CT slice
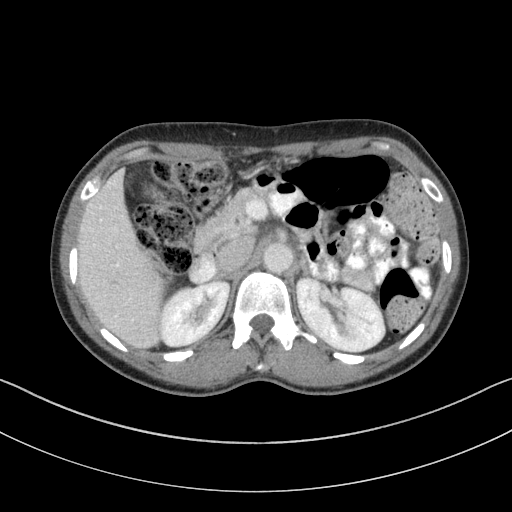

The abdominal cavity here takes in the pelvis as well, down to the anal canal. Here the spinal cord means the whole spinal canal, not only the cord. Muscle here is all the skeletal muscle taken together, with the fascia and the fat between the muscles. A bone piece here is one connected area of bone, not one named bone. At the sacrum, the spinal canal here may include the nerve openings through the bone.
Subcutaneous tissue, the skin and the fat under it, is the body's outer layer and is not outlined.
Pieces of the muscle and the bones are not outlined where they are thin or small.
{"spinal_cord":[[[260,334],[264,334],[265,333],[267,333],[268,332],[268,331],[269,330],[269,329],[273,325],[273,320],[269,316],[268,316],[265,314],[260,314],[259,315],[257,315],[256,316],[255,316],[250,321],[250,324],[253,327],[253,333],[259,333]]],"bones":[{"outer":[[286,350],[291,348],[292,342],[297,336],[303,336],[312,343],[315,343],[317,338],[304,331],[294,321],[290,296],[284,281],[268,272],[252,271],[243,278],[237,289],[232,314],[234,324],[232,346],[236,349],[252,337],[261,346],[272,337],[277,339]],"hole":[[260,334],[264,334],[265,333],[267,333],[268,332],[268,331],[269,330],[269,329],[273,325],[273,320],[269,316],[268,316],[265,314],[260,314],[259,315],[257,315],[256,316],[255,316],[250,321],[250,324],[253,327],[253,333],[259,333]]},[[436,202],[442,202],[443,201],[443,197],[442,196],[442,195],[441,194],[439,189],[432,180],[431,180],[429,178],[428,178],[427,177],[421,177],[420,178],[420,182],[422,185],[422,187],[423,188],[423,189],[432,198],[432,199],[433,199]],[[81,201],[85,201],[89,199],[95,193],[100,183],[100,175],[99,174],[96,175],[92,179],[90,180],[88,180],[86,182],[86,183],[84,185],[80,193],[80,196],[79,198]],[[167,361],[181,361],[182,360],[184,360],[186,358],[189,357],[193,354],[193,350],[190,348],[186,348],[185,349],[183,349],[182,350],[176,350],[175,351],[169,351],[168,352],[163,352],[161,354],[162,355],[162,357],[165,360],[166,360]],[[72,284],[76,284],[76,278],[77,277],[77,248],[75,246],[74,246],[73,247],[72,247],[71,248],[71,249],[70,250],[70,252],[69,253],[69,277],[70,278],[70,280],[71,281],[71,283]],[[347,364],[355,364],[356,363],[359,363],[363,361],[366,356],[365,355],[357,355],[356,354],[348,354],[347,353],[342,353],[341,352],[337,352],[335,351],[333,352],[332,355],[335,358],[337,358],[339,359],[342,362],[344,363],[346,363]],[[399,349],[402,349],[404,347],[405,347],[407,345],[408,345],[411,342],[412,342],[420,334],[420,333],[423,330],[423,329],[425,326],[425,324],[424,323],[423,320],[420,321],[418,323],[418,324],[403,339],[403,340],[398,346],[398,348]],[[447,274],[448,273],[449,273],[450,272],[450,271],[451,270],[451,250],[450,249],[450,247],[449,246],[449,244],[448,243],[448,242],[445,239],[443,239],[442,240],[442,263],[443,264],[443,267],[444,268],[444,271]],[[124,352],[126,352],[127,351],[128,351],[128,349],[115,336],[114,336],[108,330],[107,330],[104,327],[101,327],[99,329],[99,331],[100,332],[100,333],[103,336],[103,337],[109,343],[110,343],[112,345],[113,345],[118,349],[119,349]]],"abdominal_cavity":[[[357,354],[402,339],[425,314],[439,276],[441,238],[433,200],[395,159],[376,153],[275,152],[150,159],[118,166],[88,200],[76,246],[80,289],[96,319],[125,345],[162,352],[192,347],[229,319],[242,278],[264,270],[285,281],[299,326],[334,351]]],"torso":[[[190,397],[221,394],[255,381],[307,395],[336,395],[397,377],[434,350],[462,299],[469,245],[458,196],[415,136],[396,124],[372,118],[276,125],[158,121],[118,133],[86,161],[67,187],[52,228],[49,272],[58,311],[81,345],[113,371],[152,389]]],"muscle":[{"outer":[[198,388],[200,387],[208,388],[209,387],[214,387],[217,385],[226,384],[241,375],[253,371],[258,371],[261,373],[270,373],[273,375],[283,378],[291,383],[303,386],[311,386],[312,387],[337,386],[361,380],[388,368],[407,357],[418,349],[430,338],[438,326],[444,311],[449,303],[449,299],[451,297],[451,295],[454,290],[454,287],[459,274],[460,249],[459,248],[459,240],[457,231],[457,221],[450,198],[443,185],[435,174],[408,146],[394,138],[387,136],[380,136],[379,135],[363,135],[362,136],[340,138],[339,139],[330,139],[322,141],[318,140],[317,141],[292,142],[273,146],[213,145],[212,144],[198,143],[197,142],[182,142],[181,141],[178,142],[177,141],[160,141],[151,139],[140,139],[125,143],[111,150],[84,177],[72,196],[68,206],[67,212],[63,220],[61,238],[60,239],[60,247],[59,248],[59,263],[62,276],[62,285],[69,307],[76,321],[85,333],[99,346],[113,356],[120,360],[122,360],[127,364],[154,378],[163,380],[168,383],[179,384],[183,386],[197,387]],"holes":[[[347,364],[400,339],[399,349],[412,342],[425,326],[440,264],[447,274],[451,270],[451,250],[440,237],[433,205],[443,197],[432,180],[418,179],[376,153],[263,152],[143,160],[118,166],[101,182],[99,174],[86,182],[79,198],[88,203],[69,253],[69,277],[72,284],[78,278],[109,343],[124,352],[127,345],[181,361],[232,310],[235,349],[252,337],[261,346],[272,337],[287,350],[303,336],[312,343],[321,339]],[[128,158],[129,158],[130,157],[135,157],[138,155],[140,155],[141,154],[144,153],[146,151],[146,148],[138,148],[137,149],[135,149],[134,150],[132,150],[131,151],[128,152],[126,154],[125,154],[124,155],[124,156],[125,157],[127,157]],[[384,150],[388,150],[389,149],[390,149],[390,146],[389,145],[389,144],[388,144],[387,143],[385,143],[384,142],[378,142],[377,141],[374,141],[371,143],[371,144],[372,145],[373,145],[374,146],[375,146],[376,147],[377,147],[380,149],[383,149]],[[255,370],[261,370],[262,369],[263,369],[264,368],[265,368],[265,367],[264,366],[264,365],[261,362],[260,362],[258,364],[257,364],[256,365],[256,366],[255,367]]]}]}